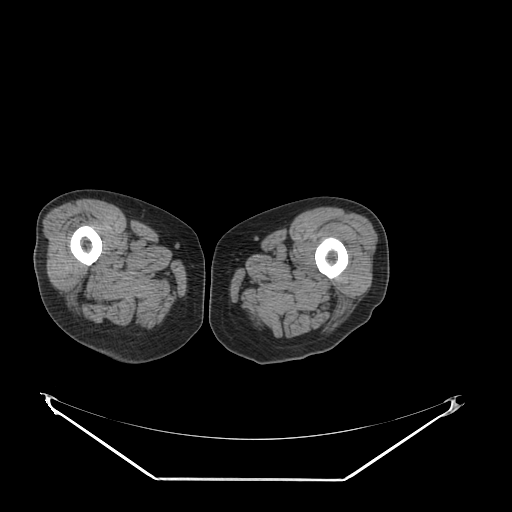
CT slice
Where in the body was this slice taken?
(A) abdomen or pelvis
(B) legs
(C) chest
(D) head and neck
(B) legs
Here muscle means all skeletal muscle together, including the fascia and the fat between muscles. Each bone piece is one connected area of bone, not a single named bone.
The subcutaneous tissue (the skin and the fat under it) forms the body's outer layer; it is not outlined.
The muscle appears in 2 outlined pieces: piece 1: 319 206; 336 206; 340 208; 345 208; 352 212; 365 216; 371 222; 377 233; 376 260; 372 284; 352 313; 332 332; 327 335; 298 345; 274 344; 255 336; 238 323; 231 302; 231 280; 254 238; 270 227; 293 215; 298 214; 307 209; inner edge: 330 236; 332 237; 335 237; 340 240; 344 244; 347 250; 347 253; 348 254; 348 264; 347 266; 337 277; 333 278; 332 279; 328 278; 324 274; 321 273; 319 271; 315 263; 315 258; 314 257; 315 249; 321 240; 323 238; 329 237; piece 2: 80 198; 95 198; 112 203; 142 221; 157 228; 177 242; 180 247; 186 274; 186 291; 172 313; 159 328; 150 333; 133 335; 125 333; 116 333; 92 327; 77 319; 70 312; 52 288; 46 272; 42 221; 45 215; 52 208; 65 202, around a hole outlined by 83 224; 85 225; 92 225; 100 236; 101 240; 102 241; 102 252; 101 254; 99 256; 97 260; 89 266; 85 264; 83 264; 78 260; 77 260; 72 254; 70 250; 70 248; 69 247; 69 242; 70 241; 70 238; 73 232; 79 226. The left leg is outlined by 320 195; 338 196; 357 201; 368 207; 379 218; 385 229; 389 248; 389 281; 384 299; 373 310; 371 317; 366 323; 326 352; 314 354; 299 360; 264 365; 232 353; 217 340; 209 325; 210 272; 216 243; 231 227; 255 214; 288 202. The right leg is outlined by 84 188; 111 190; 147 201; 175 215; 189 225; 196 233; 205 259; 203 321; 200 328; 190 339; 173 353; 157 360; 140 364; 121 363; 72 339; 56 325; 47 313; 39 294; 33 267; 33 250; 35 245; 37 216; 40 209; 57 195. The bones appear in 2 outlined pieces: piece 1: 330 236; 332 237; 335 237; 340 240; 344 244; 347 250; 347 253; 348 254; 348 264; 347 266; 337 277; 333 278; 332 279; 328 278; 324 274; 321 273; 319 271; 315 263; 315 258; 314 257; 315 249; 321 240; 323 238; 329 237; piece 2: 83 224; 85 225; 92 225; 100 236; 101 240; 102 241; 102 252; 101 254; 99 256; 97 260; 89 266; 85 264; 83 264; 78 260; 77 260; 72 254; 70 250; 70 248; 69 247; 69 242; 70 241; 70 238; 73 232; 79 226.